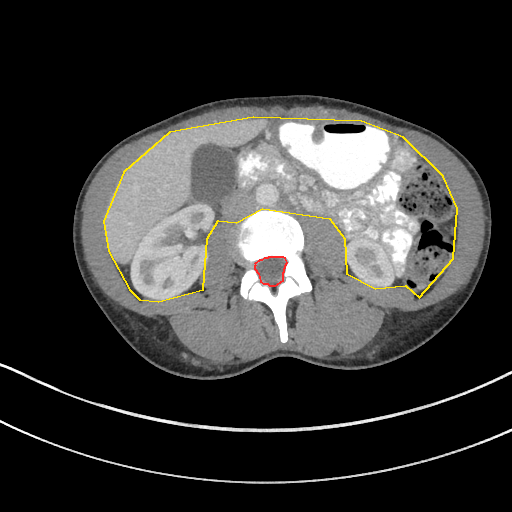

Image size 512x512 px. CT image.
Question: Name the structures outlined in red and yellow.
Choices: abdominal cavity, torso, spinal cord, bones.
Answer: red: spinal cord; yellow: abdominal cavity.
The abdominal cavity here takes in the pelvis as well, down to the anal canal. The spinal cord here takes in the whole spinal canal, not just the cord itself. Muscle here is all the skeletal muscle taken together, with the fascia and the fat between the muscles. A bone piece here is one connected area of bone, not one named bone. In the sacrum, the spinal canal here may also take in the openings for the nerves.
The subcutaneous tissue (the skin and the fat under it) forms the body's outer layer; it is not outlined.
The spinal cord is outlined by [[269,285],[275,285],[283,280],[283,272],[284,271],[284,268],[285,267],[285,265],[287,262],[285,258],[283,257],[268,257],[267,258],[264,258],[261,260],[259,260],[254,264],[255,265],[254,266],[254,268],[258,273],[260,281],[263,283],[267,283]]. The abdominal cavity is outlined by [[158,301],[203,289],[207,238],[218,220],[236,222],[262,208],[329,218],[344,238],[346,273],[375,288],[405,285],[419,297],[453,258],[457,208],[443,176],[403,137],[361,121],[253,117],[169,132],[123,172],[103,221],[108,251],[129,289],[139,299]]. The muscle is outlined by [[220,363],[238,363],[280,349],[324,358],[348,356],[358,352],[371,341],[387,314],[395,310],[411,311],[445,299],[462,289],[477,265],[483,245],[485,220],[480,193],[475,181],[462,162],[441,143],[421,132],[393,126],[357,112],[323,105],[282,106],[276,104],[264,107],[232,106],[213,109],[149,133],[119,148],[97,172],[85,194],[82,207],[81,242],[87,267],[114,301],[146,317],[155,317],[166,322],[196,355]] with a hole at [[283,343],[288,299],[312,288],[297,213],[338,227],[346,273],[419,297],[446,271],[458,238],[443,176],[403,137],[356,120],[253,117],[169,132],[108,197],[112,260],[139,299],[201,290],[207,238],[219,219],[232,219],[239,294],[271,309]]. The bones are outlined by [[283,343],[288,339],[285,315],[287,301],[293,296],[309,292],[312,285],[302,259],[304,234],[300,222],[281,209],[262,209],[241,219],[233,226],[228,238],[227,249],[233,260],[244,268],[239,294],[248,300],[261,301],[271,309],[279,329],[280,340]] with a hole at [[269,285],[275,285],[283,280],[283,272],[284,271],[284,268],[285,267],[285,265],[287,262],[285,258],[283,257],[268,257],[267,258],[264,258],[261,260],[259,260],[254,264],[255,265],[254,266],[254,268],[258,273],[260,281],[263,283],[267,283]]. The torso is outlined by [[192,379],[232,377],[276,357],[335,369],[365,369],[394,361],[430,340],[467,302],[488,254],[491,206],[473,164],[446,139],[421,125],[357,102],[313,94],[214,100],[117,142],[93,166],[77,197],[72,223],[77,266],[94,301],[131,348],[152,365]].